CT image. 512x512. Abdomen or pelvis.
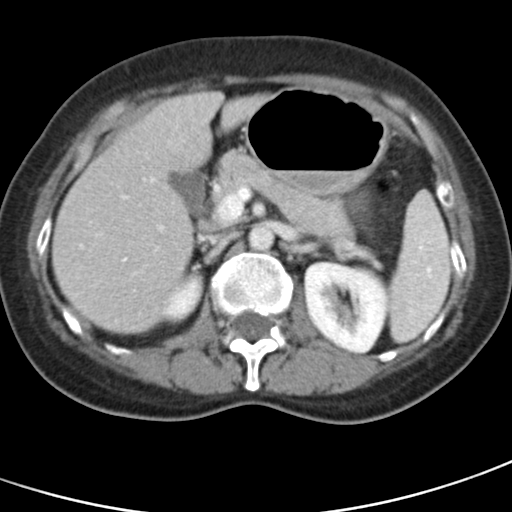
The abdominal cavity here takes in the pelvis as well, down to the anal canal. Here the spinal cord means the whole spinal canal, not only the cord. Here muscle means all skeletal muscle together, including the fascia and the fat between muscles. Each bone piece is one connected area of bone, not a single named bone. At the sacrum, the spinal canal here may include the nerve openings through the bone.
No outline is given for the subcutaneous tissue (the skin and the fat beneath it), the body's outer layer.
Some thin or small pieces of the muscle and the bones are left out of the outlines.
Outlined structures:
abdominal cavity: 256,83 362,97 418,133 448,222 455,272 443,309 417,339 377,354 352,354 318,337 301,286 294,288 282,262 267,252 224,260 193,323 159,345 128,348 96,339 60,301 47,270 52,217 85,163 171,95
bones 1: 242,252 274,256 293,281 291,300 280,316 280,330 288,344 262,357 258,367 260,386 255,391 244,387 247,371 245,358 231,351 222,342 226,333 225,318 219,311 214,311 210,293 211,278 216,270 224,261 with a hole at 247,310 250,310 255,313 259,314 261,316 268,316 269,315 272,315 273,316 273,321 274,323 269,329 268,336 266,337 261,337 253,342 250,342 241,336 235,336 235,332 231,326 232,322 236,316
bones 2: 119,103 123,106 123,110 99,135 96,139 95,144 92,147 89,155 84,162 84,164 79,169 76,170 73,165 78,154 77,152 78,146 88,136 93,134 105,122 106,120 106,113 108,108 113,104 118,104
bones 3: 410,112 413,112 416,115 417,115 421,119 421,120 424,123 425,123 431,132 433,139 438,149 438,156 436,159 434,159 432,157 428,151 421,137 421,135 419,131 415,125 410,121 409,119 409,113
bones 4: 49,216 50,216 52,219 52,223 51,224 51,231 49,235 49,239 48,240 47,245 41,257 39,258 38,253 36,251 36,249 35,248 36,239 38,236 38,234 40,231 40,229 44,221 46,219 46,218
bones 5: 62,304 67,307 67,308 71,312 71,313 75,316 75,317 79,322 79,324 82,330 82,336 75,334 72,331 71,331 71,330 69,328 68,325 66,323 64,319 64,316 62,313 62,309 61,308 61,305
bones 6: 443,310 444,311 444,318 443,319 443,321 441,325 439,327 437,331 426,342 424,343 420,343 421,341 421,339 424,333 426,331 426,330 430,326 430,325 438,317 440,313
muscle: 293,72 334,75 397,94 425,115 443,139 468,199 476,254 463,321 454,337 363,389 326,396 271,396 256,391 261,386 263,357 289,344 281,330 281,316 289,308 296,283 318,338 352,355 376,354 384,363 396,357 398,347 420,337 419,343 424,344 438,331 454,275 462,279 468,267 460,244 451,237 443,209 454,207 454,189 447,179 435,186 430,155 436,160 439,149 417,114 408,113 417,132 389,108 362,96 313,85 256,82 171,94 130,120 86,162 97,139 124,110 120,102 111,104 104,122 77,146 72,166 79,171 61,194 52,216 43,221 34,244 39,259 47,247 47,276 70,331 80,337 83,330 87,332 116,356 130,356 132,348 159,346 187,331 210,294 213,311 224,318 222,344 245,360 246,390 203,396 144,384 103,367 61,341 46,324 29,270 26,241 39,190 72,138 102,106 137,90 208,74 256,77
spinal cord: 247,310 250,310 255,313 259,314 261,316 268,316 269,315 272,315 273,316 273,321 274,323 269,329 268,336 266,337 261,337 253,342 250,342 241,336 235,336 235,332 231,326 232,322 236,316
torso: 263,34 313,35 363,47 403,65 441,98 484,164 505,217 511,293 499,325 448,383 403,411 365,423 322,423 261,405 193,420 150,421 69,398 28,361 0,297 0,205 11,178 57,108 101,70 183,39